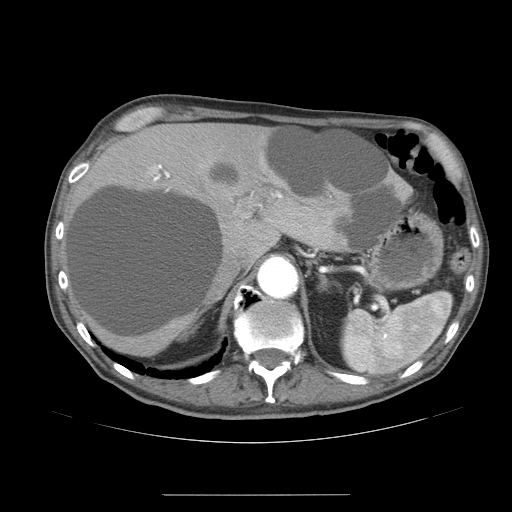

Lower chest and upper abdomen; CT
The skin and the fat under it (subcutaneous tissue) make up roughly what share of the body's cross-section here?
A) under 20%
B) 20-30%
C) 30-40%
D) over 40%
Answer: A) under 20%
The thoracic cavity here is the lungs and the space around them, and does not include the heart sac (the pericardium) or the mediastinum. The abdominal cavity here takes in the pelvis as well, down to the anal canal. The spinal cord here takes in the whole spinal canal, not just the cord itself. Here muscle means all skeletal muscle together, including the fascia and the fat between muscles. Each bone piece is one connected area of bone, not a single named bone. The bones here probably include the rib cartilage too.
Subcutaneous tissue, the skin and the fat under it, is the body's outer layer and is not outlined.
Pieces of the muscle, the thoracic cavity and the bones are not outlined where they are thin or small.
{"bones":[{"outer":[[241,285],[252,286],[270,299],[294,304],[302,318],[303,359],[297,364],[292,363],[291,368],[274,382],[272,396],[275,401],[273,403],[265,401],[267,396],[265,381],[260,375],[248,370],[248,361],[244,358],[242,349],[232,334],[232,309]],"hole":[[268,348],[274,348],[275,349],[278,349],[279,350],[281,350],[283,351],[285,353],[285,358],[278,365],[275,366],[271,369],[269,369],[261,365],[258,362],[258,361],[254,359],[253,357],[253,354],[256,351],[258,350],[261,350],[262,349],[267,349]]},[[151,106],[162,107],[165,110],[165,112],[163,115],[154,121],[152,121],[150,123],[147,123],[145,125],[142,125],[140,127],[131,131],[116,131],[114,130],[113,128],[114,124],[118,119],[124,115],[134,110],[140,108],[144,108],[145,107],[150,107]],[[429,132],[433,132],[435,133],[445,143],[453,154],[461,171],[460,179],[458,181],[456,181],[456,180],[450,175],[442,161],[438,156],[436,155],[436,153],[430,146],[429,143],[430,142],[428,141],[427,139],[427,135],[426,134],[426,133]],[[327,370],[329,370],[330,371],[335,371],[336,372],[339,372],[340,373],[347,373],[348,374],[361,375],[364,377],[366,377],[369,381],[368,383],[366,383],[365,384],[352,384],[351,383],[344,382],[343,381],[341,381],[336,377],[328,374],[326,372]],[[84,161],[89,161],[89,167],[88,168],[88,169],[87,170],[87,171],[77,181],[76,181],[73,183],[70,183],[68,181],[68,176],[69,175],[69,173],[70,172],[70,171],[72,169],[72,168],[76,164],[77,164],[80,162],[83,162]],[[213,369],[220,369],[220,372],[214,378],[213,378],[211,380],[210,380],[207,382],[205,382],[204,383],[201,383],[200,384],[192,384],[187,381],[187,378],[190,378],[191,377],[195,377],[198,375],[201,375],[204,373],[209,372],[211,370],[212,370]],[[79,321],[81,321],[86,327],[86,328],[89,332],[92,339],[95,342],[95,343],[96,344],[95,345],[95,346],[94,346],[93,347],[92,346],[89,345],[83,339],[83,338],[78,332],[78,331],[77,330],[77,327],[76,326],[76,323]],[[418,360],[422,360],[423,361],[423,364],[422,365],[422,366],[417,371],[416,371],[412,374],[411,374],[408,376],[406,376],[403,378],[400,378],[399,377],[399,375],[401,373],[402,373],[403,372],[403,371],[406,368],[407,368],[414,362],[415,362]],[[454,320],[456,320],[457,321],[458,321],[458,322],[459,323],[458,328],[455,332],[454,335],[450,339],[450,340],[447,343],[445,343],[444,342],[444,340],[445,339],[445,334],[447,331],[447,329],[448,328],[448,327],[450,325],[450,324]],[[114,361],[115,362],[117,362],[119,364],[124,366],[126,368],[127,368],[129,370],[130,370],[133,373],[133,374],[134,375],[134,379],[131,379],[130,378],[129,378],[128,377],[123,375],[121,373],[120,373],[118,371],[117,371],[113,367],[113,362]],[[403,121],[412,121],[413,122],[417,122],[418,123],[421,123],[422,124],[423,124],[425,126],[425,131],[420,131],[419,130],[415,130],[414,129],[412,129],[411,128],[408,128],[407,127],[403,127],[402,126],[400,126],[400,125],[402,123],[402,122]]],"muscle":[[[151,102],[293,117],[404,120],[395,127],[312,125],[258,116],[167,120],[158,119],[166,110],[154,105],[118,118],[113,130],[128,133],[102,148],[91,163],[84,160],[71,168],[67,181],[75,183],[65,224],[59,220],[54,229],[55,238],[63,243],[64,269],[58,271],[57,282],[63,291],[69,289],[81,318],[75,323],[76,330],[89,346],[100,346],[117,372],[131,380],[136,373],[204,384],[221,372],[214,367],[223,360],[231,336],[247,361],[247,370],[263,379],[264,401],[270,404],[276,401],[275,382],[292,364],[304,359],[303,344],[312,358],[335,370],[327,369],[328,375],[352,385],[397,374],[403,379],[417,372],[424,364],[422,359],[444,336],[447,344],[459,328],[459,321],[454,319],[466,292],[474,289],[471,273],[475,249],[480,244],[458,182],[462,175],[459,164],[435,132],[422,132],[426,126],[439,133],[461,161],[483,241],[476,299],[441,362],[421,376],[379,394],[295,407],[184,404],[137,388],[96,362],[61,316],[51,273],[51,229],[62,184],[74,160],[104,126],[127,110]]],"torso":[[[158,93],[265,101],[312,109],[409,115],[439,127],[465,159],[490,247],[487,283],[481,307],[441,372],[402,393],[358,409],[306,417],[244,420],[200,418],[146,404],[98,376],[57,326],[50,311],[43,253],[47,216],[63,166],[98,120],[124,102]]],"thoracic_cavity":[[[226,338],[228,339],[228,345],[222,360],[209,371],[186,378],[162,378],[134,372],[113,360],[103,351],[101,347],[103,346],[115,354],[141,364],[144,368],[153,368],[157,370],[183,370],[186,368],[198,366],[208,360],[218,352],[222,346],[223,340]]],"spinal_cord":[[[268,348],[274,348],[275,349],[278,349],[279,350],[281,350],[283,351],[285,353],[285,358],[278,365],[275,366],[271,369],[269,369],[261,365],[258,362],[258,361],[254,359],[253,357],[253,354],[256,351],[258,350],[261,350],[262,349],[267,349]]],"abdominal_cavity":[[[248,117],[312,126],[402,127],[426,135],[465,198],[475,258],[457,315],[423,358],[385,377],[330,368],[303,343],[298,307],[249,284],[241,284],[233,299],[232,335],[195,366],[144,367],[90,333],[64,270],[62,239],[76,182],[102,149],[156,120]]]}